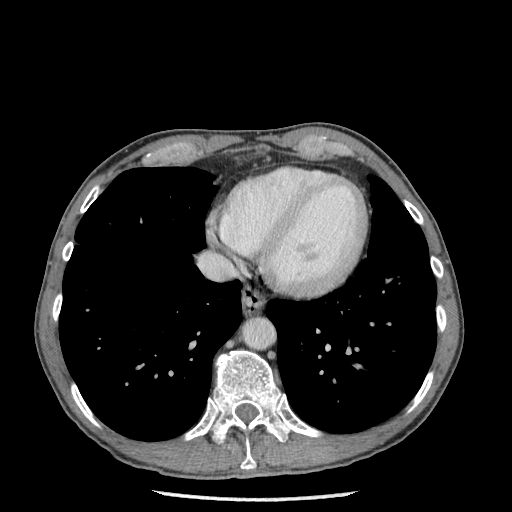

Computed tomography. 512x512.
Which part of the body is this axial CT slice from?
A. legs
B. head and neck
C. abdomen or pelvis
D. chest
D. chest
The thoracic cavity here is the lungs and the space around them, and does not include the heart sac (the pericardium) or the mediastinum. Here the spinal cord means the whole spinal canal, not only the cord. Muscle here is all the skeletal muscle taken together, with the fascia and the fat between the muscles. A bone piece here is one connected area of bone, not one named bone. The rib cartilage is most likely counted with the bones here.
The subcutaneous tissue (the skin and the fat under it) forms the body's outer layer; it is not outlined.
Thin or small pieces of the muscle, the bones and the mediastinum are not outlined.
Outlines:
spinal cord: [[241,404],[250,404],[251,405],[252,405],[254,407],[255,407],[256,408],[256,409],[258,411],[258,413],[250,421],[249,421],[247,423],[246,423],[244,421],[243,421],[236,414],[236,413],[235,412],[235,410],[236,409],[236,408],[239,405],[240,405]]
thoracic cavity 1: [[157,166],[190,166],[214,176],[216,189],[204,218],[206,243],[192,254],[192,261],[207,280],[239,281],[241,318],[213,357],[214,383],[199,419],[175,437],[141,441],[108,427],[88,405],[65,362],[59,318],[64,271],[82,216],[119,174],[136,167]]
thoracic cavity 2: [[369,175],[376,175],[386,182],[424,235],[436,284],[436,346],[418,389],[399,412],[361,431],[334,433],[300,418],[279,386],[276,380],[278,332],[266,308],[271,300],[278,298],[295,301],[321,298],[343,286],[355,273],[367,256],[371,233],[373,208]]
muscle: [[306,127],[337,130],[366,145],[402,180],[431,221],[450,274],[459,321],[454,356],[433,397],[403,429],[366,451],[308,467],[257,466],[249,434],[258,426],[284,443],[290,432],[311,438],[325,432],[361,432],[403,409],[408,415],[417,407],[435,375],[430,366],[437,346],[436,329],[443,332],[447,324],[445,307],[436,303],[436,279],[443,277],[444,266],[436,255],[429,255],[419,209],[407,198],[400,199],[361,156],[356,160],[310,158],[325,154],[353,158],[355,153],[342,142],[307,135],[295,146],[300,156],[253,146],[187,165],[164,165],[192,151],[189,142],[177,141],[146,152],[139,161],[147,166],[122,171],[100,194],[98,183],[89,189],[78,210],[75,244],[69,239],[61,250],[66,264],[51,315],[72,378],[71,397],[96,428],[103,428],[100,420],[116,433],[141,442],[181,435],[186,442],[210,432],[210,439],[219,445],[228,430],[236,427],[244,433],[245,456],[240,468],[192,473],[120,452],[71,410],[40,344],[40,307],[54,247],[72,206],[92,178],[158,139],[180,134],[267,135]]
torso: [[308,121],[343,125],[375,142],[402,169],[437,221],[457,278],[465,326],[459,361],[439,401],[391,449],[333,469],[256,479],[194,479],[141,471],[110,456],[65,414],[34,343],[34,311],[48,250],[68,202],[100,162],[148,133],[171,128],[262,129]]
pericardium: [[282,162],[316,163],[339,167],[352,174],[367,193],[371,213],[369,236],[365,248],[365,255],[353,274],[343,285],[318,298],[295,300],[278,297],[272,299],[259,286],[252,269],[244,261],[212,241],[205,230],[205,218],[213,197],[227,179],[249,169]]
mediastinum 1: [[205,231],[212,242],[244,262],[251,269],[258,286],[271,299],[266,305],[265,313],[277,332],[276,378],[272,366],[254,351],[238,348],[217,353],[219,348],[234,333],[241,321],[241,283],[238,279],[226,282],[207,279],[194,263],[193,254],[206,246]]
mediastinum 2: [[253,147],[260,147],[315,160],[347,159],[362,163],[377,174],[369,174],[367,176],[370,188],[369,202],[367,191],[352,173],[339,166],[300,161],[282,161],[240,171],[227,178],[215,193],[217,189],[213,184],[215,176],[208,171],[188,165],[216,154]]
bones 1: [[238,349],[258,354],[271,366],[291,409],[322,430],[322,436],[290,431],[281,442],[258,425],[248,434],[256,462],[251,469],[240,467],[246,456],[245,433],[236,426],[227,430],[219,444],[210,431],[183,440],[182,434],[202,416],[214,386],[214,357]] with a hole at [[241,404],[250,404],[251,405],[252,405],[254,407],[255,407],[256,408],[256,409],[258,411],[258,413],[250,421],[249,421],[247,423],[246,423],[244,421],[243,421],[236,414],[236,413],[235,412],[235,410],[236,409],[236,408],[239,405],[240,405]]
bones 2: [[307,136],[318,136],[323,139],[326,139],[328,141],[333,141],[334,142],[342,143],[347,146],[354,153],[354,156],[353,157],[350,157],[349,156],[339,156],[335,154],[329,154],[328,153],[325,153],[313,157],[301,156],[297,151],[296,146],[302,139]]
bones 3: [[177,142],[185,142],[186,143],[189,143],[191,145],[191,151],[185,156],[180,158],[178,160],[169,162],[163,165],[150,165],[148,166],[147,165],[143,165],[141,163],[140,160],[146,153],[148,152],[153,152],[160,148],[171,145],[173,143],[176,143]]
bones 4: [[72,380],[73,380],[75,382],[82,397],[84,399],[85,402],[90,408],[90,409],[92,411],[94,415],[99,421],[102,428],[100,429],[96,427],[83,414],[83,413],[73,399],[72,397],[72,395],[71,394],[71,392],[70,391],[70,383]]
bones 5: [[430,369],[432,369],[433,370],[434,370],[434,375],[433,376],[432,383],[431,384],[429,389],[425,394],[424,397],[416,406],[416,407],[411,412],[410,412],[408,414],[405,414],[405,411],[404,410],[404,408],[415,395],[415,394],[419,389],[427,372]]
bones 6: [[95,184],[98,184],[100,186],[100,189],[99,190],[99,195],[96,198],[96,199],[90,205],[90,206],[87,209],[87,210],[82,215],[81,215],[79,213],[79,210],[80,209],[80,207],[81,206],[86,195],[88,193],[88,192],[90,190],[90,189]]
bones 7: [[404,198],[405,198],[409,201],[410,201],[418,209],[418,210],[420,212],[420,213],[423,218],[423,225],[421,227],[414,221],[414,220],[412,218],[411,215],[409,213],[409,212],[407,210],[407,209],[401,201],[401,200]]
bones 8: [[438,303],[440,303],[444,307],[444,308],[445,309],[445,311],[446,312],[446,324],[445,325],[445,327],[444,328],[444,329],[443,330],[443,331],[439,331],[437,329],[437,326],[436,325],[436,315],[435,314],[435,307],[436,306],[436,304],[437,304]]
bones 9: [[60,291],[61,291],[62,292],[62,304],[61,305],[61,309],[60,310],[60,313],[59,314],[59,317],[58,318],[58,324],[56,324],[53,319],[53,316],[52,315],[52,304],[53,303],[53,300],[54,299],[54,297],[56,295],[56,294]]
bones 10: [[430,255],[434,255],[435,256],[436,256],[441,261],[441,262],[442,263],[442,265],[443,266],[443,275],[442,276],[442,277],[439,279],[437,279],[434,276],[434,275],[432,272],[432,270],[431,269],[431,267],[430,266],[430,259],[429,258],[430,257]]